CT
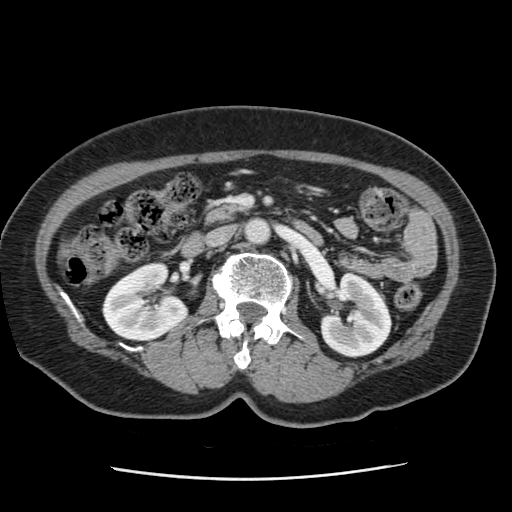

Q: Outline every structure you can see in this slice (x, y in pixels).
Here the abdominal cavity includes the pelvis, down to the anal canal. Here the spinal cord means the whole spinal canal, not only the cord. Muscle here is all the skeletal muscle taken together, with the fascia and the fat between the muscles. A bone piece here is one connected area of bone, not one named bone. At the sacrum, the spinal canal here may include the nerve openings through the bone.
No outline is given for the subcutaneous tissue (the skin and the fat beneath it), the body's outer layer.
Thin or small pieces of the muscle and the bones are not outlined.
A: spinal cord: [[244,302],[253,302],[256,304],[258,304],[266,309],[266,313],[260,318],[260,320],[259,321],[258,321],[257,322],[254,322],[253,323],[247,323],[245,321],[244,321],[241,319],[241,316],[240,315],[240,313],[237,309],[237,305],[240,303],[243,303]]
muscle: [[238,149],[266,149],[267,150],[295,149],[296,150],[309,150],[310,151],[327,152],[332,154],[346,156],[369,163],[406,171],[423,180],[441,197],[451,212],[456,229],[456,234],[459,243],[459,273],[457,283],[451,293],[446,308],[436,325],[433,342],[427,351],[422,355],[414,359],[409,360],[403,364],[375,373],[358,382],[353,386],[347,388],[335,396],[320,401],[309,403],[285,403],[280,402],[274,399],[273,397],[268,397],[260,394],[253,387],[247,379],[247,377],[241,373],[237,373],[225,385],[219,388],[216,388],[214,391],[210,393],[206,393],[203,395],[181,393],[165,386],[152,378],[145,377],[141,374],[139,374],[133,368],[125,365],[119,361],[114,361],[106,356],[89,351],[85,348],[79,346],[70,339],[66,330],[66,326],[62,318],[56,312],[53,305],[45,295],[41,287],[38,279],[34,260],[35,241],[38,231],[47,212],[57,198],[67,188],[81,177],[87,175],[92,171],[101,167],[117,162],[123,161],[129,162],[136,160],[150,160],[179,154],[192,154],[209,151],[237,150]] with a hole at [[258,155],[359,169],[426,208],[445,274],[421,320],[373,359],[334,359],[298,315],[293,276],[280,317],[304,339],[250,339],[240,369],[242,339],[222,337],[211,319],[222,310],[213,269],[194,313],[142,351],[81,326],[48,271],[72,211],[151,172]]
bones 1: [[246,251],[272,255],[291,274],[292,290],[285,312],[280,317],[304,339],[288,332],[274,344],[262,338],[250,339],[251,360],[246,368],[240,369],[234,355],[241,348],[242,339],[222,337],[211,319],[222,310],[221,299],[212,286],[212,276],[230,254]]; inner edge: [[244,302],[253,302],[256,304],[258,304],[266,309],[266,313],[260,318],[260,320],[259,321],[258,321],[257,322],[254,322],[253,323],[247,323],[245,321],[244,321],[241,319],[241,316],[240,315],[240,313],[237,309],[237,305],[240,303],[243,303]]
bones 2: [[58,287],[59,287],[67,294],[67,295],[69,297],[69,298],[71,300],[75,307],[81,314],[83,318],[83,323],[85,325],[85,328],[82,327],[81,325],[77,321],[77,320],[71,312],[70,309],[67,306],[64,300],[59,294],[58,292]]
abdominal cavity: [[258,155],[359,169],[426,208],[441,233],[445,274],[439,291],[405,335],[367,361],[330,357],[298,315],[299,279],[272,254],[248,250],[230,253],[210,272],[194,313],[162,339],[130,345],[93,331],[48,271],[52,239],[68,215],[94,196],[151,172]]
torso: [[240,104],[306,109],[379,126],[426,151],[453,176],[476,210],[496,262],[494,294],[479,346],[455,381],[424,398],[356,421],[294,428],[263,420],[240,398],[197,419],[105,414],[22,359],[4,303],[0,238],[29,186],[64,153],[112,127],[182,109]]